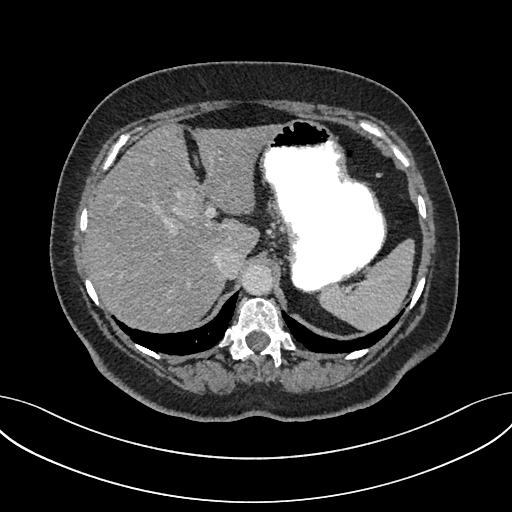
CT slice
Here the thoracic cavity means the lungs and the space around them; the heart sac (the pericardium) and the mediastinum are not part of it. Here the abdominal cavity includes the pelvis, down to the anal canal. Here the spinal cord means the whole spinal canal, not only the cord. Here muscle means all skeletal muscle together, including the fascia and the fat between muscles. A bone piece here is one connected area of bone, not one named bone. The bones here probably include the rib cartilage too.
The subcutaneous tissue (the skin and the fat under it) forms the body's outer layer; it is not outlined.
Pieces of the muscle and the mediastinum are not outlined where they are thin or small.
{"muscle":[{"outer":[[222,99],[285,99],[293,101],[311,102],[314,104],[322,103],[331,106],[342,107],[353,111],[366,112],[386,122],[406,142],[412,152],[417,168],[421,173],[424,181],[424,184],[433,205],[433,219],[435,225],[435,237],[436,238],[436,242],[435,243],[436,251],[434,255],[434,266],[433,267],[434,269],[432,274],[431,284],[428,294],[428,299],[427,300],[427,305],[425,313],[419,323],[409,335],[402,339],[380,361],[365,373],[341,387],[338,387],[331,390],[323,391],[322,392],[291,393],[290,392],[281,391],[274,387],[266,385],[263,383],[257,383],[252,385],[244,386],[239,390],[226,395],[217,395],[216,394],[200,395],[196,394],[173,384],[167,379],[157,376],[151,370],[148,369],[142,364],[121,351],[103,335],[102,332],[98,328],[85,306],[76,278],[76,272],[75,271],[74,260],[72,254],[72,228],[75,218],[75,212],[90,166],[103,143],[117,129],[142,117],[145,117],[157,112],[171,109],[178,106],[182,106],[185,104],[196,103],[208,100],[221,100]],"hole":[[244,103],[291,114],[336,115],[356,124],[366,119],[381,127],[409,160],[407,169],[426,209],[426,217],[420,218],[420,276],[425,283],[414,306],[358,358],[346,360],[345,352],[312,351],[296,343],[296,350],[281,349],[278,367],[268,354],[256,361],[235,360],[227,346],[215,344],[194,353],[159,352],[156,359],[136,348],[86,290],[86,235],[80,216],[84,207],[90,209],[108,171],[102,164],[119,136],[174,116]]}],"torso":[[[226,60],[318,64],[373,79],[410,106],[433,144],[459,223],[453,319],[439,347],[387,395],[367,407],[307,421],[254,415],[205,422],[168,415],[130,396],[98,371],[60,305],[49,262],[52,210],[63,164],[88,115],[110,92],[141,75],[183,64]]],"abdominal_cavity":[[[244,103],[345,118],[379,138],[405,164],[423,228],[424,265],[404,311],[385,325],[352,339],[320,335],[284,310],[268,267],[258,262],[244,271],[235,292],[211,320],[186,331],[132,328],[102,305],[88,275],[84,240],[88,210],[122,144],[171,117]]],"bones":[{"outer":[[252,297],[270,300],[277,307],[283,321],[283,327],[290,334],[297,347],[296,350],[281,349],[282,361],[278,367],[275,367],[274,360],[268,354],[256,361],[251,358],[235,360],[227,346],[217,347],[216,345],[227,328],[237,319],[238,311],[243,302]],"hole":[[253,331],[256,331],[257,332],[263,332],[265,333],[268,336],[269,338],[269,342],[268,344],[263,349],[259,351],[255,351],[253,349],[249,347],[246,341],[246,337],[251,332]]},[[359,119],[366,119],[373,123],[377,124],[381,127],[388,137],[408,158],[409,163],[410,164],[409,166],[407,167],[406,164],[392,150],[391,150],[388,147],[387,144],[379,137],[374,135],[371,132],[367,131],[360,127],[360,126],[357,124],[357,121]],[[136,127],[140,127],[140,129],[133,133],[121,144],[119,148],[119,151],[111,165],[107,170],[105,171],[102,170],[101,168],[102,164],[107,156],[107,154],[108,153],[108,151],[110,149],[110,147],[116,141],[116,140],[121,134],[123,134]],[[423,275],[425,276],[425,283],[424,284],[424,286],[423,287],[422,292],[419,298],[417,300],[416,303],[414,305],[414,306],[408,311],[405,311],[407,306],[409,304],[411,300],[411,297],[416,287],[416,284],[418,280]],[[85,278],[89,278],[89,279],[91,281],[91,283],[92,284],[92,285],[97,294],[98,299],[99,300],[99,301],[100,302],[102,307],[97,306],[93,302],[93,301],[89,296],[89,295],[86,290],[85,285],[84,284],[84,280],[85,279]],[[368,347],[369,347],[369,350],[364,355],[363,355],[358,358],[355,358],[354,359],[350,359],[349,360],[346,360],[345,359],[344,359],[344,356],[346,354],[347,354],[350,352],[355,351],[356,350],[359,350],[360,349],[362,349],[363,348],[367,348]],[[134,342],[135,343],[137,343],[150,350],[152,350],[153,351],[158,353],[161,356],[161,358],[160,358],[159,359],[156,359],[154,357],[153,357],[148,354],[146,354],[145,353],[142,352],[140,350],[139,350],[137,348],[136,348],[133,345],[133,343]],[[84,207],[86,207],[87,208],[87,226],[86,227],[86,229],[85,230],[85,231],[84,232],[82,232],[80,230],[80,216],[81,215],[81,212],[82,211],[82,209]],[[418,194],[420,194],[422,196],[422,197],[424,200],[424,202],[425,203],[425,208],[426,209],[426,217],[424,219],[423,218],[422,218],[420,216],[420,215],[418,212],[418,208],[417,207],[419,204],[419,203],[418,202],[418,197],[417,196],[417,195]]],"spinal_cord":[[[253,331],[256,331],[257,332],[263,332],[265,333],[268,336],[269,338],[269,342],[268,344],[263,349],[259,351],[255,351],[253,349],[249,347],[246,341],[246,337],[251,332]]],"thoracic_cavity":[[[236,292],[238,292],[238,295],[231,318],[231,323],[224,331],[220,340],[213,346],[194,353],[180,355],[157,352],[135,342],[118,326],[112,318],[115,318],[129,328],[152,334],[175,334],[180,332],[186,332],[199,328],[211,321],[218,314],[226,301]],[[402,310],[403,312],[396,323],[385,335],[370,346],[356,349],[347,353],[312,351],[304,347],[301,344],[296,343],[292,337],[293,335],[288,327],[283,312],[283,311],[285,312],[300,324],[320,336],[336,340],[352,340],[366,336],[383,326],[385,326]]],"mediastinum":[[[258,263],[266,266],[268,269],[273,280],[275,296],[283,308],[282,312],[285,322],[292,336],[284,327],[284,321],[278,307],[270,299],[261,296],[246,298],[237,311],[236,319],[232,322],[239,295],[239,292],[236,290],[241,284],[243,274],[248,268]]]}